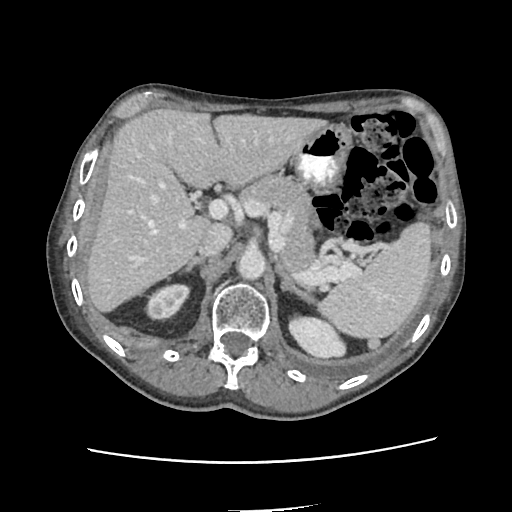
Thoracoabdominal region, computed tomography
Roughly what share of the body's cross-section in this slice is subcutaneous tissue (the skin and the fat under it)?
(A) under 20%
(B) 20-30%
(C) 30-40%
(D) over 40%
(A) under 20%
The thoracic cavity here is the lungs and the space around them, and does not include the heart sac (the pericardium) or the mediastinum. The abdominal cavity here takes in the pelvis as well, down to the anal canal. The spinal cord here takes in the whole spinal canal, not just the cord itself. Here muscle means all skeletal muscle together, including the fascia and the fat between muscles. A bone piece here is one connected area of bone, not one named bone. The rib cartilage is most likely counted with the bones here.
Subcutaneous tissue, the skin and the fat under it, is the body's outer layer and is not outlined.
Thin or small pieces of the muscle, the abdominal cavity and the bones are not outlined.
abdominal cavity: (330, 366) (356, 364) (385, 350) (434, 286) (444, 226) (443, 190) (437, 156) (420, 117) (400, 105) (337, 113) (159, 108) (121, 123) (89, 252) (87, 286) (95, 307) (117, 325) (181, 336) (200, 314) (210, 315) (218, 291) (246, 282) (266, 297) (276, 336) (286, 350)
spinal cord: (233, 356) (238, 356) (239, 355) (244, 354) (247, 348) (249, 347) (252, 344) (252, 342) (249, 338) (249, 337) (248, 337) (246, 335) (240, 332) (227, 332) (225, 333) (221, 337) (221, 340) (222, 342) (225, 345) (225, 351)
muscle: (283, 414) (317, 409) (375, 381) (413, 354) (442, 312) (454, 284) (461, 233) (458, 189) (444, 128) (436, 114) (419, 100) (442, 128) (446, 141) (446, 155) (442, 157) (424, 112) (410, 109) (421, 117) (437, 153) (444, 211) (450, 198) (458, 217) (456, 227) (450, 229) (445, 216) (440, 262) (447, 252) (451, 269) (442, 277) (439, 267) (428, 308) (431, 320) (425, 332) (389, 360) (365, 372) (369, 374) (365, 381) (338, 390) (336, 386) (343, 379) (307, 375) (304, 382) (297, 382) (286, 375) (288, 368) (297, 368) (284, 355) (270, 321) (258, 342) (258, 361) (240, 369) (240, 387) (232, 391) (223, 386) (225, 367) (206, 359) (212, 343) (210, 316) (200, 315) (184, 336) (157, 337) (109, 321) (94, 307) (87, 287) (80, 283) (78, 265) (89, 204) (101, 157) (112, 145) (117, 126) (159, 107) (337, 112) (376, 105) (407, 107) (400, 101) (405, 96) (301, 105) (225, 104) (190, 100) (152, 88) (163, 96) (122, 119) (113, 112) (122, 101) (146, 90) (136, 91) (108, 114) (74, 170) (56, 239) (61, 287) (69, 311) (95, 345) (160, 393) (191, 402) (233, 395) (259, 410); inner edges: (81, 185) (83, 185) (87, 182) (93, 170) (93, 168) (94, 167) (95, 162) (97, 159) (97, 156) (99, 154) (98, 149) (96, 147) (87, 151) (84, 154) (83, 156) (83, 158) (82, 159) (82, 161) (80, 165) (80, 170) (79, 171) (79, 183), then (120, 356) (125, 356) (125, 352) (124, 351) (124, 349) (123, 348) (123, 347) (115, 339) (114, 339) (109, 335) (108, 335) (107, 334) (103, 334) (102, 335) (102, 337) (103, 338) (103, 339) (105, 341) (105, 342) (113, 351) (114, 351) (118, 355) (119, 355), then (79, 306) (80, 306) (83, 302) (83, 296) (82, 295) (82, 293) (81, 292) (81, 288) (80, 287) (80, 285) (79, 284) (79, 282) (77, 278) (76, 277) (73, 277) (71, 280) (71, 289) (73, 293) (73, 296) (74, 297) (74, 299) (76, 303), then (74, 221) (76, 221) (79, 219) (79, 218) (81, 216) (83, 212) (83, 209) (85, 205) (84, 200) (81, 196) (80, 196) (77, 199) (73, 207) (73, 211) (72, 212) (72, 217), then (69, 257) (72, 257) (75, 254) (75, 252) (76, 251) (76, 248) (77, 247) (77, 239) (76, 238) (76, 236) (74, 233) (73, 233) (70, 236) (70, 237) (69, 238) (69, 239) (67, 242) (67, 244) (66, 245) (66, 249) (67, 250) (67, 254), then (169, 361) (175, 361) (176, 360) (178, 360) (180, 358) (180, 356) (179, 355) (179, 353) (177, 351) (176, 351) (175, 350) (173, 350) (172, 349) (166, 349) (162, 353) (162, 356) (166, 360) (168, 360)
thoracic cavity 1: (327, 379) (345, 379) (361, 374) (389, 359) (403, 347) (411, 338) (412, 333) (420, 319) (427, 312) (429, 301) (433, 294) (433, 284) (417, 314) (399, 337) (385, 351) (370, 360) (349, 367) (319, 366) (302, 361) (292, 356) (281, 345) (288, 360) (301, 371) (316, 378)
thoracic cavity 2: (84, 288) (86, 286) (86, 279) (88, 272) (87, 270) (89, 255) (88, 252) (91, 244) (92, 234) (100, 214) (101, 206) (105, 194) (112, 146) (102, 157) (96, 192) (95, 196) (91, 200) (88, 214) (88, 222) (86, 226) (84, 248) (79, 265) (79, 276)
bones 1: (232, 390) (239, 387) (236, 376) (239, 369) (244, 365) (253, 365) (257, 361) (257, 342) (265, 333) (269, 324) (269, 308) (265, 297) (251, 285) (242, 282) (230, 285) (218, 292) (211, 309) (213, 343) (208, 351) (207, 359) (221, 362) (226, 367) (228, 376) (224, 386) with a hole at (233, 356) (238, 356) (239, 355) (244, 354) (247, 348) (249, 347) (252, 344) (252, 342) (249, 338) (249, 337) (248, 337) (246, 335) (240, 332) (227, 332) (225, 333) (221, 337) (221, 340) (222, 342) (225, 345) (225, 351)
bones 2: (442, 156) (445, 155) (445, 141) (443, 137) (443, 133) (435, 116) (432, 113) (427, 112) (425, 110) (424, 105) (418, 100) (408, 96) (403, 97) (401, 101) (404, 105) (410, 108) (415, 109) (416, 111) (424, 111) (425, 112) (426, 121) (432, 131) (435, 140) (436, 148)
bones 3: (122, 118) (123, 117) (126, 117) (134, 113) (136, 111) (138, 111) (142, 107) (144, 107) (147, 105) (151, 99) (162, 96) (162, 94) (161, 93) (157, 93) (156, 92) (153, 92) (147, 90) (137, 95) (131, 96) (125, 101) (122, 102) (114, 112) (116, 116)
bones 4: (81, 185) (83, 185) (87, 182) (93, 170) (93, 168) (94, 167) (94, 165) (95, 164) (95, 162) (97, 159) (97, 156) (98, 155) (98, 149) (96, 147) (87, 151) (84, 154) (83, 156) (83, 158) (82, 159) (82, 161) (80, 165) (80, 170) (79, 171) (79, 183)
bones 5: (450, 228) (453, 228) (455, 227) (456, 225) (456, 223) (457, 222) (457, 217) (456, 216) (456, 211) (455, 210) (455, 208) (454, 207) (454, 205) (452, 201) (450, 199) (447, 199) (446, 201) (446, 204) (445, 205) (445, 215) (446, 216) (446, 221) (447, 222) (447, 224)
bones 6: (338, 389) (347, 389) (353, 386) (355, 386) (359, 384) (364, 380) (365, 380) (368, 377) (368, 374) (366, 373) (363, 373) (361, 375) (359, 375) (358, 376) (355, 376) (354, 377) (349, 378) (342, 383) (341, 383) (339, 385) (338, 385) (337, 386) (337, 388)
bones 7: (409, 342) (414, 342) (424, 332) (424, 331) (426, 329) (426, 328) (429, 323) (429, 321) (430, 320) (430, 314) (428, 312) (426, 314) (425, 314) (425, 315) (421, 319) (420, 322) (418, 324) (417, 327) (415, 329) (415, 330) (413, 333) (413, 336) (412, 337) (412, 338)
bones 8: (120, 356) (125, 356) (125, 352) (124, 351) (124, 349) (123, 348) (123, 347) (115, 339) (114, 339) (109, 335) (108, 335) (107, 334) (103, 334) (102, 335) (102, 337) (103, 338) (103, 339) (105, 341) (105, 342) (113, 351) (114, 351) (118, 355) (119, 355)
bones 9: (79, 306) (80, 306) (83, 302) (83, 296) (82, 295) (82, 293) (81, 292) (81, 288) (80, 287) (80, 285) (79, 284) (79, 282) (77, 278) (76, 277) (73, 277) (71, 280) (71, 289) (73, 293) (73, 296) (74, 297) (74, 299) (76, 303)
bones 10: (74, 221) (76, 221) (79, 219) (79, 218) (81, 216) (83, 212) (83, 209) (85, 205) (84, 200) (81, 196) (80, 196) (77, 199) (73, 207) (73, 211) (72, 212) (72, 217)
bones 11: (297, 381) (304, 381) (306, 379) (306, 375) (305, 374) (304, 374) (302, 372) (301, 372) (299, 370) (298, 370) (297, 369) (288, 369) (286, 371) (286, 373) (287, 374) (287, 375) (289, 377) (290, 377) (291, 378) (292, 378) (293, 379) (294, 379) (295, 380) (296, 380)
bones 12: (169, 361) (175, 361) (176, 360) (178, 360) (180, 358) (180, 356) (179, 355) (179, 353) (177, 351) (176, 351) (175, 350) (173, 350) (172, 349) (166, 349) (162, 353) (162, 356) (166, 360) (168, 360)
torso: (283, 421) (321, 416) (375, 391) (414, 364) (442, 328) (463, 285) (467, 229) (447, 125) (428, 100) (399, 88) (260, 98) (212, 93) (161, 82) (130, 87) (110, 102) (79, 145) (48, 227) (45, 257) (56, 311) (80, 346) (152, 401) (185, 411) (230, 408) (255, 418)